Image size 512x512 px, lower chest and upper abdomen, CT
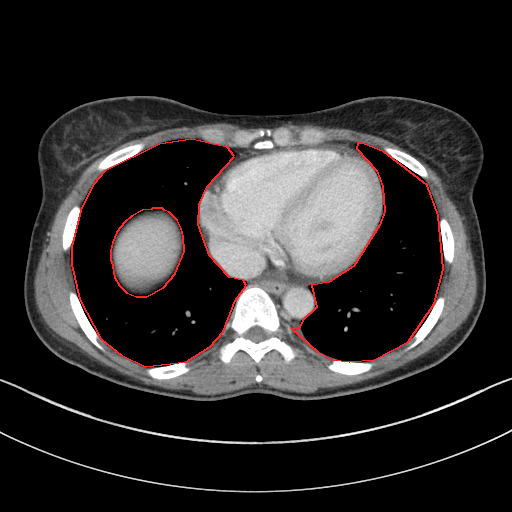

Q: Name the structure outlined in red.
A: red: thoracic cavity.
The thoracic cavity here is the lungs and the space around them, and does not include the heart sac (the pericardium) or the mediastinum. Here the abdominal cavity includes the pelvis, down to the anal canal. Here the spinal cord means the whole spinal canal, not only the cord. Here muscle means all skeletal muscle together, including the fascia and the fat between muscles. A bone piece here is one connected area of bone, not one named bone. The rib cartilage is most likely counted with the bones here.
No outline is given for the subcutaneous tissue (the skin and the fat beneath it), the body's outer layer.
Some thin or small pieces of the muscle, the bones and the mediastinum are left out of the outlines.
The thoracic cavity appears in 2 outlined pieces: piece 1: [[145,366],[186,361],[210,346],[223,331],[235,300],[246,285],[243,280],[229,277],[209,255],[198,224],[199,204],[207,186],[234,156],[227,147],[191,139],[159,144],[104,171],[93,184],[81,207],[71,246],[71,264],[79,299],[100,338],[120,354]] with a hole at [[136,296],[146,296],[163,287],[175,273],[184,251],[183,236],[181,228],[177,220],[169,212],[164,210],[162,208],[152,208],[151,209],[142,210],[131,216],[124,222],[116,232],[112,242],[110,250],[110,260],[111,261],[114,277],[119,285],[126,292]]; piece 2: [[349,361],[374,359],[408,341],[434,303],[443,269],[438,215],[427,185],[384,152],[362,143],[357,143],[356,148],[376,170],[382,186],[384,211],[379,225],[353,266],[328,282],[311,285],[316,307],[302,320],[298,329],[291,328],[317,351],[332,359]]. The spinal cord is outlined by [[254,342],[259,342],[262,340],[264,340],[265,339],[266,339],[269,336],[269,335],[267,333],[267,332],[259,326],[253,326],[252,327],[251,327],[244,334],[244,336],[246,338],[247,338],[248,339],[250,339]]. The torso is outlined by [[197,401],[248,393],[294,400],[358,393],[429,369],[465,341],[486,293],[473,201],[484,149],[467,119],[437,103],[397,95],[285,114],[219,113],[157,95],[122,95],[77,105],[45,129],[37,148],[41,202],[23,281],[34,332],[52,353],[88,373]]. The mediastinum is outlined by [[297,328],[299,327],[301,320],[309,316],[315,307],[314,297],[309,289],[309,284],[297,283],[288,279],[276,277],[255,276],[239,278],[231,276],[226,272],[231,277],[243,279],[247,285],[258,285],[265,289],[274,300],[281,320],[286,322],[290,327]]. The abdominal cavity is outlined by [[136,296],[146,296],[163,287],[175,273],[184,251],[183,236],[181,228],[177,220],[169,212],[164,210],[162,208],[152,208],[151,209],[142,210],[131,216],[124,222],[116,232],[112,242],[110,250],[110,260],[111,261],[114,277],[119,285],[126,292]]. The pericardium is outlined by [[310,284],[328,281],[348,269],[360,257],[371,240],[383,211],[381,186],[375,170],[359,152],[354,150],[350,145],[341,143],[243,151],[232,159],[230,163],[225,166],[212,180],[200,204],[199,224],[210,255],[231,275],[239,277],[255,275],[276,276]]. The bones appear in 12 outlined pieces: piece 1: [[225,363],[229,362],[239,349],[248,353],[256,363],[271,349],[279,351],[286,362],[295,356],[291,346],[276,335],[281,330],[276,306],[267,292],[258,286],[246,286],[241,291],[225,324],[225,330],[230,329],[236,334],[231,341],[220,347],[220,359]]; inner edge: [[254,342],[259,342],[262,340],[264,340],[265,339],[266,339],[269,336],[269,335],[267,333],[267,332],[259,326],[253,326],[252,327],[251,327],[244,334],[244,336],[246,338],[247,338],[248,339],[250,339]]; piece 2: [[257,149],[272,148],[275,145],[279,146],[291,145],[293,144],[292,133],[288,129],[283,129],[273,132],[270,129],[264,130],[261,128],[257,129],[251,133],[242,131],[235,132],[232,136],[232,141],[234,144],[238,146],[247,146],[251,144],[254,148]]; piece 3: [[101,172],[107,168],[127,158],[129,158],[135,155],[137,153],[144,150],[146,148],[146,145],[145,143],[143,142],[140,142],[139,143],[132,144],[131,145],[126,146],[123,148],[121,148],[111,152],[94,164],[94,168],[99,170]]; piece 4: [[100,349],[103,349],[102,346],[98,341],[98,340],[100,339],[95,330],[89,322],[87,317],[85,315],[84,311],[76,294],[76,292],[74,290],[71,290],[69,292],[69,300],[70,301],[70,305],[73,311],[73,313],[80,327],[86,336],[93,344]]; piece 5: [[407,349],[412,348],[418,343],[419,343],[427,335],[427,334],[436,323],[442,311],[442,309],[444,305],[444,301],[445,300],[444,296],[442,295],[439,295],[437,297],[431,311],[429,313],[428,316],[422,325],[413,336],[412,338],[414,340],[407,347]]; piece 6: [[423,178],[426,178],[428,176],[428,172],[426,168],[416,158],[415,158],[410,154],[404,151],[402,151],[399,149],[393,148],[392,147],[389,147],[388,146],[385,146],[383,147],[383,151],[405,165],[408,168],[409,168]]; piece 7: [[348,375],[354,375],[355,374],[359,374],[360,373],[365,372],[369,370],[375,364],[375,363],[373,360],[371,361],[366,361],[365,362],[349,362],[348,361],[343,361],[338,359],[333,359],[329,364],[328,368],[333,371],[335,371],[339,373],[347,374]]; piece 8: [[157,379],[167,379],[168,378],[175,377],[178,375],[180,375],[183,373],[187,372],[189,370],[189,368],[186,365],[186,362],[185,361],[179,362],[178,363],[175,363],[167,366],[147,367],[145,369],[145,371],[147,374],[151,377],[153,378],[156,378]]; piece 9: [[64,250],[68,250],[70,248],[73,239],[73,236],[75,232],[75,229],[80,214],[80,206],[78,204],[74,205],[70,209],[66,218],[66,221],[63,230],[63,234],[62,235],[62,246]]; piece 10: [[449,263],[451,263],[453,260],[453,253],[454,252],[454,239],[453,238],[452,231],[448,221],[446,218],[444,217],[440,217],[439,218],[439,224],[440,225],[440,230],[441,231],[441,239],[442,240],[442,245],[443,246],[443,256],[444,257],[444,261]]; piece 11: [[305,144],[311,144],[312,143],[318,143],[319,142],[320,142],[322,140],[322,138],[323,137],[323,134],[321,132],[320,132],[319,131],[314,131],[313,130],[305,130],[304,131],[301,132],[301,133],[300,134],[300,142],[301,143],[304,143]]; piece 12: [[209,143],[218,143],[220,141],[221,141],[223,139],[223,138],[224,137],[224,136],[223,135],[223,133],[221,131],[220,131],[219,130],[213,130],[212,129],[208,129],[207,130],[205,130],[204,131],[204,132],[202,134],[202,138],[205,141],[206,141]]. The muscle appears in 3 outlined pieces: piece 1: [[201,394],[257,383],[302,393],[343,386],[397,368],[452,334],[472,308],[477,280],[464,217],[433,172],[421,162],[429,172],[424,180],[439,217],[451,225],[455,252],[451,264],[444,262],[438,293],[446,298],[443,311],[419,344],[407,350],[411,339],[375,359],[369,371],[348,376],[329,370],[331,359],[281,322],[277,335],[296,353],[288,363],[276,350],[258,364],[241,350],[223,363],[219,347],[235,336],[224,330],[187,361],[187,373],[157,380],[101,340],[103,350],[93,345],[69,305],[68,292],[75,286],[70,249],[62,249],[61,235],[69,209],[81,206],[101,173],[92,164],[61,197],[45,229],[34,279],[38,311],[56,335],[100,363],[147,384]]; piece 2: [[108,153],[115,149],[140,141],[146,143],[147,145],[146,149],[147,149],[159,143],[174,139],[191,138],[203,140],[201,138],[201,134],[205,129],[208,128],[219,129],[224,133],[225,136],[224,139],[218,144],[212,144],[237,146],[234,145],[231,141],[231,136],[235,131],[242,130],[251,132],[259,128],[241,128],[237,125],[228,123],[212,123],[193,127],[185,126],[179,128],[172,128],[128,141],[115,147]]; piece 3: [[381,150],[385,145],[403,149],[379,136],[350,129],[290,123],[274,128],[262,128],[270,128],[273,131],[288,128],[293,133],[294,144],[292,145],[310,145],[301,144],[299,134],[305,129],[313,129],[324,134],[323,140],[319,143],[336,140],[362,142]].